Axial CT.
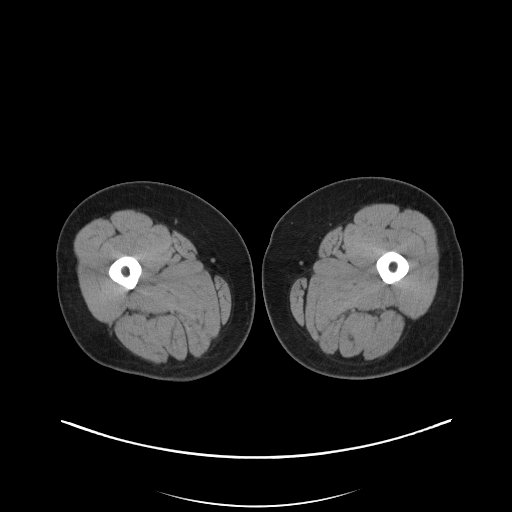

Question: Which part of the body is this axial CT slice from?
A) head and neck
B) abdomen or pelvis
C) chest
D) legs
Answer: D) legs
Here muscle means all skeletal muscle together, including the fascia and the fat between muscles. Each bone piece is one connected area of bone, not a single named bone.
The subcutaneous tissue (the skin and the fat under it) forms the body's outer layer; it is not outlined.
Outlines (x, y in pixels):
left leg: (358, 176) (399, 179) (433, 196) (453, 223) (462, 252) (464, 273) (462, 298) (455, 322) (444, 341) (431, 355) (417, 365) (395, 374) (365, 380) (348, 380) (324, 376) (307, 369) (295, 361) (281, 346) (273, 332) (264, 305) (261, 263) (272, 229) (288, 208) (326, 184)
muscle 1: (137, 208) (155, 210) (182, 225) (210, 247) (227, 264) (233, 286) (234, 314) (213, 348) (196, 363) (188, 367) (165, 368) (155, 366) (133, 355) (114, 340) (92, 316) (79, 288) (76, 272) (77, 259) (73, 250) (73, 242) (77, 232) (95, 218) (103, 217) (116, 210); inner edge: (122, 255) (130, 255) (131, 256) (135, 256) (137, 258) (142, 268) (142, 271) (141, 272) (141, 274) (138, 279) (138, 281) (135, 287) (130, 290) (126, 290) (121, 285) (113, 281) (108, 274) (108, 269) (109, 268) (109, 266) (116, 259) (117, 259) (120, 256)
muscle 2: (381, 202) (394, 203) (402, 209) (418, 210) (432, 222) (439, 251) (436, 294) (427, 312) (411, 324) (394, 349) (384, 358) (362, 366) (337, 363) (322, 354) (295, 321) (290, 310) (290, 288) (295, 279) (309, 268) (317, 255) (322, 238) (328, 231) (350, 219) (361, 207) with a hole at (390, 250) (394, 250) (398, 253) (401, 254) (408, 261) (409, 263) (409, 269) (407, 273) (399, 281) (395, 283) (393, 283) (392, 284) (387, 284) (385, 283) (380, 277) (377, 271) (377, 269) (376, 268) (375, 264) (376, 263) (377, 259) (385, 251) (389, 251)
bones 1: (122, 255) (130, 255) (131, 256) (135, 256) (137, 258) (142, 268) (142, 271) (141, 272) (141, 274) (138, 279) (138, 281) (135, 287) (130, 290) (126, 290) (121, 285) (113, 281) (108, 274) (108, 269) (109, 268) (109, 266) (116, 259) (117, 259) (120, 256)
bones 2: (390, 250) (394, 250) (398, 253) (401, 254) (408, 261) (409, 263) (409, 269) (407, 273) (399, 281) (395, 283) (393, 283) (392, 284) (387, 284) (385, 283) (380, 277) (377, 271) (377, 269) (376, 268) (375, 264) (376, 263) (377, 259) (385, 251) (389, 251)
right leg: (135, 180) (158, 181) (175, 185) (203, 198) (233, 224) (248, 248) (252, 260) (256, 291) (254, 319) (250, 332) (239, 352) (225, 366) (203, 378) (187, 382) (162, 381) (103, 366) (82, 351) (63, 318) (56, 288) (55, 251) (65, 219) (78, 203) (95, 191) (112, 184)